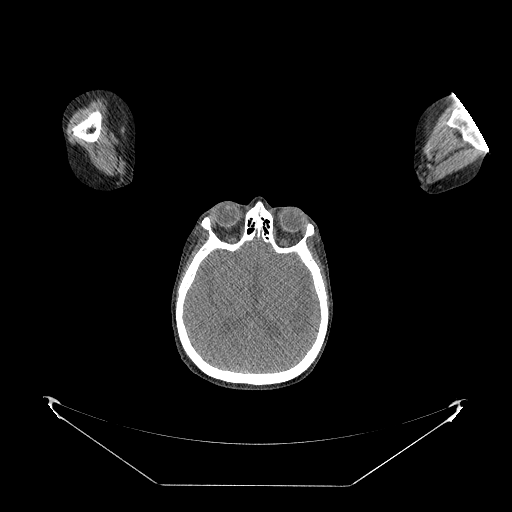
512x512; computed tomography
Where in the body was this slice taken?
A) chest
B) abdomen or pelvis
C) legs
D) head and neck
Answer: D) head and neck
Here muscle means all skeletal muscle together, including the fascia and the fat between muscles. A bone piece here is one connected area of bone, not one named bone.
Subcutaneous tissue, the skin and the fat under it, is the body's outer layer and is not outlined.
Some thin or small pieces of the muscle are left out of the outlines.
{"bones":[{"outer":[[257,200],[271,212],[273,239],[280,246],[298,241],[306,222],[313,225],[306,244],[328,306],[326,335],[312,363],[292,379],[261,385],[204,373],[184,351],[175,321],[178,286],[208,237],[203,218],[210,216],[218,237],[233,243],[241,238],[245,213]],"hole":[[255,238],[269,244],[277,254],[286,255],[293,253],[298,257],[309,271],[318,302],[319,320],[311,345],[296,363],[281,370],[263,372],[238,371],[213,365],[204,359],[193,345],[184,320],[185,300],[202,261],[215,250],[235,252],[246,242],[252,242]]},[[456,99],[458,99],[463,104],[475,122],[487,145],[488,148],[488,151],[487,152],[485,153],[485,152],[482,150],[476,149],[469,143],[463,141],[461,138],[460,131],[446,124],[446,120],[447,118],[451,113],[452,110],[456,106],[456,103],[455,102]],[[96,109],[98,109],[99,110],[102,116],[102,118],[101,119],[101,128],[100,129],[99,136],[97,140],[93,142],[88,142],[83,139],[81,139],[78,137],[74,136],[73,135],[73,132],[72,131],[72,127],[80,121],[85,119],[91,112],[92,112]]],"brain":[[[255,238],[269,244],[277,254],[286,255],[293,253],[298,257],[309,271],[318,302],[319,320],[311,345],[296,363],[281,370],[263,372],[238,371],[213,365],[204,359],[193,345],[184,320],[185,300],[202,261],[215,250],[235,252],[246,242],[252,242]]],"left_arm":[[[450,92],[452,92],[457,97],[470,114],[483,136],[487,145],[488,151],[490,153],[490,156],[488,155],[485,156],[479,171],[467,183],[441,193],[430,194],[425,192],[420,187],[414,172],[413,159],[415,129],[418,119],[425,108],[438,98],[447,95]]],"right_arm":[[[92,88],[106,88],[113,91],[120,96],[129,106],[135,123],[135,146],[134,147],[135,163],[133,168],[133,179],[129,184],[111,192],[104,192],[100,190],[93,189],[82,183],[74,175],[68,163],[66,147],[61,128],[62,114],[69,101],[81,92]]],"head":[[[255,197],[265,199],[272,206],[299,207],[315,221],[324,244],[333,296],[333,319],[329,339],[317,365],[299,382],[270,390],[226,388],[208,382],[193,373],[181,360],[177,351],[170,316],[171,293],[182,248],[198,217],[218,202],[231,200],[246,204]]],"muscle":[{"outer":[[100,94],[101,95],[108,95],[110,96],[119,106],[127,120],[126,121],[126,163],[127,164],[126,173],[119,181],[116,182],[111,182],[101,177],[95,172],[89,166],[84,158],[71,145],[67,136],[67,123],[72,112],[80,104],[85,102],[91,97]],"hole":[[96,109],[98,109],[99,110],[102,116],[102,118],[101,119],[101,128],[100,129],[99,136],[97,140],[93,142],[88,142],[83,139],[81,139],[78,137],[74,136],[73,135],[73,132],[72,131],[72,127],[80,121],[85,119],[91,112],[92,112]]},[[452,98],[454,98],[455,106],[446,118],[445,124],[459,131],[460,138],[463,142],[469,144],[476,150],[484,152],[484,154],[461,170],[459,170],[436,183],[427,185],[423,182],[416,168],[417,159],[421,150],[421,144],[425,125],[436,114],[440,112]],[[315,231],[316,233],[316,242],[315,245],[318,249],[318,254],[324,268],[324,272],[327,282],[327,291],[328,292],[330,302],[329,305],[329,315],[329,306],[328,305],[328,295],[327,294],[327,290],[320,271],[320,268],[314,259],[312,253],[307,244],[307,239],[312,236],[315,233]],[[200,225],[200,226],[203,229],[207,231],[207,237],[203,243],[201,244],[192,257],[191,261],[187,266],[178,285],[178,282],[180,278],[181,272],[183,269],[183,266],[186,261],[188,254],[191,250],[192,244],[197,238],[197,233],[198,232],[198,229]]]}